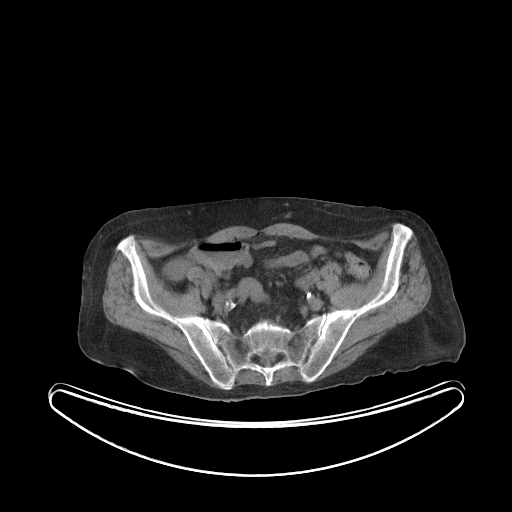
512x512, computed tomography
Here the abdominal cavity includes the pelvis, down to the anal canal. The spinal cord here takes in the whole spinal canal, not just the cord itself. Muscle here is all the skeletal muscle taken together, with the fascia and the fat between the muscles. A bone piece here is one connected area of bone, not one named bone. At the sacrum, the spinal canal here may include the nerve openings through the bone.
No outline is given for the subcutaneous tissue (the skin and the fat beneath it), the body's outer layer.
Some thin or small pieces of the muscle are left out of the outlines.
Outlines:
abdominal cavity: 257 234; 378 252; 373 277; 366 284; 342 283; 340 265; 328 261; 317 280; 329 296; 328 311; 298 330; 265 318; 236 335; 227 323; 204 316; 202 301; 213 286; 201 267; 186 270; 190 284; 180 292; 164 285; 151 260; 200 243
spinal cord: 264 356; 265 356; 266 357; 272 357; 273 358; 274 358; 275 359; 275 362; 272 365; 271 365; 270 366; 265 366; 264 365; 262 365; 261 364; 260 364; 260 363; 259 362; 260 361; 260 360; 261 359; 261 358; 262 357; 263 357
muscle 1: 280 222; 296 224; 325 236; 368 234; 385 229; 390 223; 396 222; 391 227; 391 244; 383 277; 376 293; 357 307; 337 308; 329 311; 330 296; 318 288; 322 267; 328 262; 335 262; 340 267; 339 280; 342 284; 366 285; 374 277; 379 255; 378 251; 341 241; 317 238; 303 239; 264 233; 257 233; 245 239; 200 242; 178 248; 150 260; 157 277; 163 285; 174 292; 183 293; 191 284; 187 278; 187 270; 192 266; 197 266; 211 280; 212 289; 208 298; 201 301; 205 307; 203 315; 176 315; 169 312; 153 298; 143 264; 137 252; 137 242; 135 237; 130 234; 175 242; 189 238; 205 237; 230 226; 243 225; 261 229
muscle 2: 414 231; 418 239; 421 254; 427 268; 431 283; 431 295; 425 308; 408 321; 398 324; 396 327; 390 330; 379 341; 371 346; 347 367; 315 381; 331 363; 353 323; 366 312; 388 302; 397 292; 400 285; 401 268; 405 249; 413 237
muscle 3: 115 247; 115 249; 119 251; 129 263; 132 283; 131 292; 136 303; 145 312; 168 321; 175 325; 182 332; 190 348; 209 378; 218 388; 212 387; 190 374; 151 340; 135 331; 114 325; 105 317; 102 306; 102 294; 105 286; 107 268
muscle 4: 244 369; 248 369; 249 370; 251 370; 252 371; 256 371; 260 373; 264 377; 264 385; 265 386; 263 385; 258 385; 257 384; 242 384; 241 385; 238 385; 233 388; 237 374; 239 372; 239 371; 243 370
muscle 5: 292 366; 296 367; 298 369; 299 374; 301 376; 302 380; 304 382; 302 381; 298 381; 297 380; 296 381; 287 381; 286 382; 283 382; 282 383; 271 386; 272 385; 272 382; 274 377; 274 373; 277 370; 280 370; 286 367; 291 367
torso: 254 196; 299 196; 376 205; 406 209; 421 216; 434 232; 447 260; 462 314; 466 339; 459 359; 405 372; 386 372; 357 384; 303 395; 226 402; 161 390; 123 369; 104 366; 85 356; 76 335; 82 260; 90 240; 105 222; 132 209
bones: 397 222; 413 235; 396 292; 352 323; 309 383; 292 365; 277 369; 269 386; 260 372; 244 368; 231 389; 219 388; 183 332; 137 303; 130 263; 116 249; 134 237; 151 296; 172 315; 221 321; 236 336; 265 319; 298 331; 377 293; inner edge: 264 356; 265 356; 266 357; 272 357; 273 358; 274 358; 275 359; 275 362; 272 365; 271 365; 270 366; 265 366; 264 365; 262 365; 261 364; 260 364; 260 363; 259 362; 260 361; 260 360; 261 359; 261 358; 262 357; 263 357